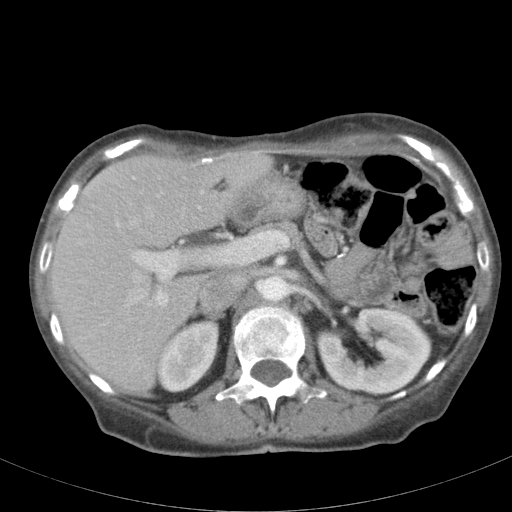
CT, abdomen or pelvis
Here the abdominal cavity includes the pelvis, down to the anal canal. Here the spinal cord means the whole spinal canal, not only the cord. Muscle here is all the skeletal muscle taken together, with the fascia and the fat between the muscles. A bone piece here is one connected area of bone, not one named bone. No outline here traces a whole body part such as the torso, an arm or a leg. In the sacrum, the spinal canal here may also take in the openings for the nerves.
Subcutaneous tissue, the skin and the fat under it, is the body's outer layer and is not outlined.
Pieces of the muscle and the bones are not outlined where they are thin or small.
{"muscle":[[[362,128],[406,133],[394,136],[445,176],[453,196],[437,173],[397,151],[309,155],[247,147],[195,156],[132,149],[145,141],[141,136],[106,148],[101,158],[113,159],[82,185],[72,182],[57,200],[54,212],[64,214],[53,242],[46,240],[40,251],[38,269],[47,271],[53,306],[49,329],[58,344],[67,344],[99,390],[151,404],[187,400],[221,378],[231,342],[240,373],[214,395],[217,401],[233,399],[241,406],[261,397],[273,415],[280,397],[296,396],[303,404],[326,397],[326,389],[310,385],[298,370],[306,349],[303,323],[323,378],[348,392],[386,397],[388,402],[404,397],[424,376],[422,383],[430,382],[462,332],[467,337],[473,331],[477,304],[471,303],[466,317],[466,311],[479,268],[486,272],[490,266],[487,243],[476,242],[466,219],[475,211],[474,201],[444,155],[411,134],[445,150],[462,169],[478,199],[495,264],[491,297],[475,345],[435,398],[341,439],[268,438],[210,445],[106,408],[68,369],[37,308],[34,262],[57,194],[87,157],[141,132],[217,145],[257,139],[305,141]]],"abdominal_cavity":[[[247,148],[309,156],[403,153],[446,182],[471,227],[479,267],[463,330],[417,382],[384,397],[332,383],[321,375],[309,328],[283,304],[246,310],[233,328],[221,377],[163,404],[118,393],[64,340],[47,270],[64,215],[88,178],[130,150],[196,157]]],"bones":[{"outer":[[259,305],[283,305],[301,319],[305,349],[297,370],[310,386],[326,390],[326,396],[311,397],[306,403],[296,395],[280,396],[273,414],[267,400],[261,396],[241,405],[233,398],[215,398],[240,376],[240,363],[232,342],[234,328],[246,311]],"hole":[[263,360],[277,360],[278,361],[280,361],[282,362],[288,368],[289,370],[289,376],[285,378],[283,378],[276,384],[272,386],[269,386],[265,384],[263,382],[256,379],[251,375],[251,370],[253,366],[257,362],[259,362]]},[[396,133],[402,133],[412,136],[425,143],[432,149],[439,151],[443,155],[473,201],[474,211],[469,218],[466,218],[459,211],[454,198],[453,193],[454,192],[451,182],[446,176],[430,161],[425,159],[420,153],[403,140],[396,137],[395,136]],[[74,182],[79,182],[81,186],[78,190],[73,200],[73,203],[72,204],[71,208],[65,213],[64,213],[63,211],[61,211],[60,210],[58,211],[58,213],[56,213],[55,212],[55,208],[56,207],[58,200],[64,194],[64,193],[67,190],[70,185]],[[141,137],[142,138],[144,138],[144,141],[142,143],[140,143],[128,151],[126,151],[122,154],[114,158],[110,158],[109,159],[103,159],[102,158],[103,152],[106,149],[108,148],[112,148],[123,142],[128,141],[131,139],[135,139],[136,138],[140,138]],[[474,302],[476,304],[476,322],[470,334],[467,336],[465,336],[464,335],[464,332],[463,331],[464,330],[464,326],[465,325],[466,318],[467,317],[467,315],[468,314],[469,309],[472,303]],[[89,372],[91,372],[92,373],[99,376],[102,379],[103,379],[116,392],[116,393],[115,394],[110,394],[109,393],[104,392],[100,389],[99,389],[99,388],[95,384],[94,384],[93,383],[93,382],[90,379],[90,378],[88,375],[88,373]],[[442,358],[445,358],[446,359],[446,362],[445,363],[444,366],[441,369],[441,370],[430,381],[429,381],[426,383],[423,383],[423,381],[424,380],[424,378],[425,377],[427,372],[430,369],[430,368],[432,366],[432,365],[438,360],[439,360]]],"spinal_cord":[[[263,360],[277,360],[278,361],[280,361],[282,362],[288,368],[289,370],[289,376],[285,378],[283,378],[276,384],[272,386],[269,386],[265,384],[263,382],[256,379],[251,375],[251,370],[253,366],[257,362],[259,362]]]}